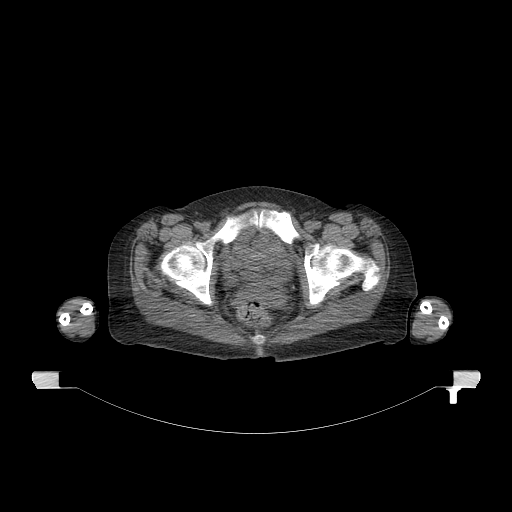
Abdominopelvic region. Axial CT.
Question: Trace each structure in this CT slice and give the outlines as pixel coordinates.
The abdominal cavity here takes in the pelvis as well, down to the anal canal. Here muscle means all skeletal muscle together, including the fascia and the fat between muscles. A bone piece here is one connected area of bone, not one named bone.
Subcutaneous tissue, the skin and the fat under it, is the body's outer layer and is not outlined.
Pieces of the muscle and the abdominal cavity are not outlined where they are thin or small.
Answer: The bones appear in 7 outlined pieces: piece 1: 263 208; 289 212; 300 238; 290 244; 286 243; 271 229; 251 224; 241 229; 232 241; 226 244; 216 242; 209 278; 212 305; 202 303; 190 291; 161 272; 160 262; 173 248; 206 240; 224 224; 227 216; 235 216; 251 209; 259 212; piece 2: 317 242; 321 246; 334 244; 340 248; 347 248; 357 255; 370 257; 379 267; 380 278; 377 284; 365 291; 362 288; 364 275; 361 272; 354 272; 342 278; 338 285; 326 293; 322 301; 310 304; 309 286; 304 267; 304 248; 307 243; piece 3: 425 299; 428 299; 430 301; 430 304; 431 305; 431 307; 432 308; 432 310; 431 311; 431 312; 429 314; 426 314; 425 313; 422 313; 421 312; 421 310; 420 309; 420 307; 419 306; 420 305; 420 303; 423 300; 424 300; piece 4: 85 301; 89 301; 91 303; 91 304; 92 305; 92 306; 93 307; 93 309; 92 310; 92 311; 91 312; 91 313; 89 315; 84 315; 83 314; 82 314; 82 313; 80 311; 80 308; 81 307; 81 306; 83 304; 83 303; piece 5: 441 315; 444 315; 445 316; 446 316; 446 317; 447 318; 447 319; 449 321; 449 325; 448 326; 448 327; 445 330; 443 330; 442 329; 441 329; 439 327; 439 326; 438 325; 438 320; 439 319; 439 318; 440 317; 440 316; piece 6: 62 312; 67 312; 69 314; 69 316; 70 317; 70 319; 69 320; 69 323; 67 325; 62 325; 59 322; 59 321; 58 320; 58 319; 59 318; 59 316; 60 315; 60 314; piece 7: 256 333; 260 333; 261 334; 262 334; 263 335; 264 335; 265 336; 265 340; 264 341; 264 342; 263 343; 262 343; 261 344; 257 344; 256 343; 254 343; 252 341; 252 340; 251 339; 251 337; 253 335; 254 335. The left arm is outlined by 428 294; 438 295; 446 299; 449 302; 454 312; 453 323; 449 327; 449 329; 445 337; 443 339; 437 342; 428 344; 427 345; 412 345; 410 343; 408 337; 408 314; 409 313; 409 310; 412 304; 417 299; 422 297; 424 295; 427 295. The right arm is outlined by 75 295; 84 295; 91 298; 95 302; 99 311; 99 326; 93 335; 92 335; 88 340; 84 342; 73 342; 63 337; 59 333; 56 327; 56 323; 55 322; 55 313; 56 312; 56 309; 59 304; 66 298; 70 297; 71 296; 74 296. The torso is outlined by 251 185; 297 191; 335 207; 357 202; 390 219; 409 244; 417 282; 417 296; 407 314; 407 335; 391 345; 377 342; 282 362; 271 357; 220 360; 142 344; 125 345; 114 340; 107 326; 107 255; 116 232; 154 206; 180 207; 209 194. The abdominal cavity is outlined by 251 225; 259 228; 265 227; 271 230; 285 243; 288 255; 295 265; 301 283; 301 302; 296 315; 285 324; 272 330; 261 332; 246 330; 240 325; 229 320; 220 307; 216 294; 216 283; 220 270; 220 255; 224 247; 232 242; 241 230. The muscle appears in 3 outlined pieces: piece 1: 250 201; 267 201; 276 203; 285 208; 292 208; 299 217; 308 221; 321 221; 328 215; 340 211; 348 211; 354 215; 363 213; 372 218; 380 226; 385 236; 390 259; 390 275; 385 291; 369 319; 329 330; 307 339; 289 344; 269 346; 262 349; 243 348; 231 344; 219 343; 145 321; 134 303; 129 287; 130 245; 136 229; 151 217; 162 213; 183 214; 202 221; 216 215; 220 210; 233 208 with holes at 250 208; 289 212; 300 235; 285 244; 301 283; 300 307; 287 323; 262 331; 265 340; 261 344; 252 341; 255 332; 229 320; 220 307; 216 283; 225 244; 218 241; 213 248; 210 306; 160 270; 167 252; 182 244; 206 240; 227 216 and at 317 242; 321 246; 334 244; 340 248; 347 248; 357 255; 370 257; 379 267; 380 278; 377 284; 365 291; 362 288; 364 275; 361 272; 354 272; 342 278; 338 285; 326 293; 322 301; 310 304; 309 286; 304 267; 304 248; 307 243; piece 2: 429 299; 437 299; 443 302; 447 306; 451 316; 450 321; 444 314; 441 314; 439 316; 437 320; 437 325; 441 330; 444 331; 439 337; 432 340; 417 338; 411 333; 411 326; 417 307; 419 307; 422 314; 429 315; 432 312; 433 308; piece 3: 73 299; 86 300; 79 308; 82 315; 89 316; 93 310; 94 312; 94 328; 88 335; 83 337; 78 335; 69 336; 61 329; 60 326; 60 324; 62 326; 67 326; 70 323; 70 314; 67 311; 62 311; 59 315; 59 312; 64 304.